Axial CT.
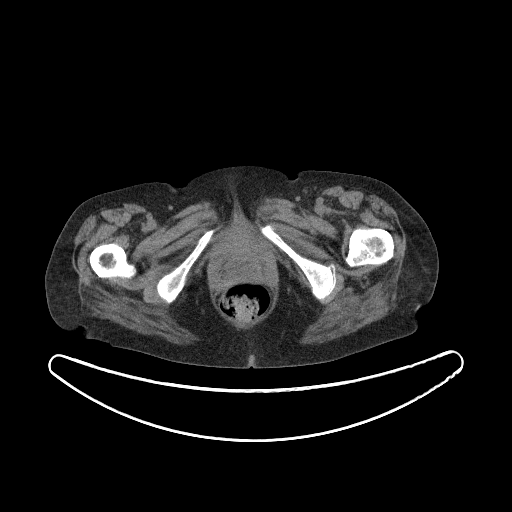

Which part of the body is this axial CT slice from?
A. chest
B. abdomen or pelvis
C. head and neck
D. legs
Answer: B. abdomen or pelvis
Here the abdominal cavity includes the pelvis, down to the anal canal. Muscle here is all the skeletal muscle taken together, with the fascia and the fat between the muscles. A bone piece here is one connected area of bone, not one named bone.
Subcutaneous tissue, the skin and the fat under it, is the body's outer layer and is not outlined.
{"muscle":[{"outer":[[329,184],[349,184],[379,196],[396,211],[406,234],[395,309],[343,338],[317,346],[297,342],[317,307],[280,265],[277,302],[263,321],[249,329],[238,330],[217,314],[207,279],[200,274],[172,310],[180,325],[201,338],[190,345],[108,323],[84,313],[78,304],[78,280],[68,262],[69,253],[83,221],[98,209],[117,202],[136,203],[165,221],[206,199],[225,218],[234,208],[247,215],[258,196],[309,208],[318,190]],"holes":[[[240,237],[245,237],[253,240],[265,250],[273,264],[276,277],[275,283],[273,286],[273,300],[271,306],[265,315],[248,325],[238,325],[235,321],[231,320],[220,310],[216,303],[216,294],[214,293],[211,277],[212,267],[222,249],[230,241]],[[366,227],[382,228],[387,230],[391,234],[394,242],[394,253],[393,254],[393,257],[387,262],[381,265],[365,264],[364,265],[359,265],[354,267],[350,267],[344,259],[348,251],[348,243],[349,242],[350,235],[354,229],[356,228],[365,228]],[[267,224],[270,224],[282,239],[301,256],[321,263],[324,265],[329,265],[332,263],[334,265],[335,267],[335,286],[332,291],[325,298],[322,300],[319,300],[314,296],[312,293],[310,284],[300,267],[284,251],[262,234],[260,231],[260,227]],[[112,242],[115,242],[120,245],[124,249],[126,253],[128,262],[135,265],[136,267],[136,273],[132,277],[130,278],[124,278],[123,277],[116,276],[111,278],[102,278],[99,277],[92,269],[89,262],[89,255],[91,251],[96,246],[100,244],[111,243]],[[210,229],[215,229],[215,231],[213,233],[207,245],[200,253],[188,271],[186,275],[185,283],[182,289],[172,302],[170,303],[166,302],[159,296],[157,292],[156,288],[157,282],[162,276],[170,272],[178,266],[192,251],[199,238],[206,231]]]}],"bones":[[[366,227],[382,228],[387,230],[391,234],[394,242],[394,253],[393,254],[393,257],[387,262],[381,265],[365,264],[364,265],[359,265],[354,267],[350,267],[344,259],[348,251],[348,243],[349,242],[350,235],[354,229],[356,228],[365,228]],[[267,224],[270,224],[282,239],[301,256],[321,263],[324,265],[329,265],[332,263],[334,265],[335,267],[335,286],[332,291],[325,298],[322,300],[319,300],[314,296],[312,293],[310,284],[300,267],[284,251],[262,234],[260,231],[260,227]],[[112,242],[115,242],[120,245],[124,249],[126,253],[128,262],[135,265],[136,267],[136,273],[132,277],[130,278],[124,278],[123,277],[116,276],[111,278],[102,278],[99,277],[92,269],[89,262],[89,255],[91,251],[96,246],[100,244],[111,243]],[[210,229],[215,229],[215,231],[213,233],[207,245],[200,253],[188,271],[186,275],[185,283],[182,289],[172,302],[170,303],[166,302],[159,296],[157,292],[156,288],[157,282],[162,276],[170,272],[178,266],[192,251],[199,238],[206,231]]],"torso":[[[247,164],[275,168],[290,177],[303,170],[370,176],[390,185],[420,214],[436,244],[439,269],[413,333],[330,362],[238,369],[164,360],[85,338],[79,329],[68,331],[55,323],[46,302],[45,271],[57,237],[80,203],[144,182],[182,186],[209,170]]],"abdominal_cavity":[[[240,237],[245,237],[253,240],[265,250],[273,264],[276,277],[275,283],[273,286],[273,300],[271,306],[265,315],[248,325],[238,325],[235,321],[231,320],[220,310],[216,303],[216,294],[214,293],[211,277],[212,267],[222,249],[230,241]]]}